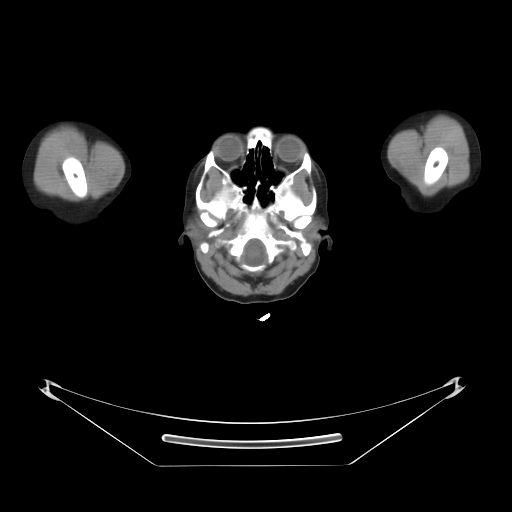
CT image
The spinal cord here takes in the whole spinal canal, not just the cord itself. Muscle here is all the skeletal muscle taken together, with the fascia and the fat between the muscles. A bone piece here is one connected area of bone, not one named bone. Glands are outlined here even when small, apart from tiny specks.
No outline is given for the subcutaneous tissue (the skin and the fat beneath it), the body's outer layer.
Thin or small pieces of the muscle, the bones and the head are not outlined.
{"spinal_cord":[[[252,245],[258,245],[261,247],[261,250],[263,253],[263,256],[260,261],[260,262],[261,263],[259,263],[258,264],[255,264],[254,265],[252,265],[251,264],[249,264],[248,263],[246,263],[247,263],[248,262],[248,259],[247,258],[247,250]]],"muscle":[{"outer":[[204,160],[194,191],[195,205],[200,212],[199,219],[211,229],[206,235],[211,238],[218,236],[231,225],[227,221],[217,227],[218,220],[224,221],[230,209],[237,219],[243,214],[242,223],[235,235],[226,239],[219,238],[217,242],[228,247],[227,252],[240,268],[252,273],[261,272],[271,265],[276,257],[285,251],[285,247],[291,252],[299,249],[306,257],[310,254],[313,246],[302,230],[304,229],[313,219],[313,215],[317,207],[317,190],[311,185],[311,198],[306,204],[292,185],[295,175],[302,170],[308,176],[311,175],[313,162],[320,179],[319,215],[316,215],[313,218],[313,222],[312,223],[315,259],[309,270],[283,292],[275,295],[235,295],[222,290],[202,271],[195,245],[200,222],[192,207],[195,172]],"hole":[[203,241],[206,241],[209,244],[209,247],[208,248],[208,250],[207,251],[207,252],[206,253],[204,253],[203,252],[202,252],[202,251],[200,249],[200,247],[199,246],[199,245],[200,244],[200,243],[201,242],[202,242]]},{"outer":[[62,123],[73,124],[82,130],[88,139],[92,141],[97,139],[106,141],[120,152],[125,163],[125,172],[121,181],[113,191],[105,194],[98,199],[86,199],[73,202],[56,196],[48,196],[41,193],[35,188],[33,183],[33,169],[40,140],[47,131]],"hole":[[69,156],[73,156],[77,158],[80,161],[84,170],[84,173],[85,174],[85,179],[86,180],[86,183],[87,184],[87,193],[86,195],[82,198],[77,196],[72,191],[67,182],[67,180],[64,175],[64,173],[62,169],[62,162],[63,160],[65,158]]},{"outer":[[439,113],[447,114],[455,118],[462,125],[470,151],[470,175],[464,182],[450,188],[443,188],[435,195],[426,197],[423,196],[414,186],[410,184],[390,165],[387,159],[387,148],[390,140],[397,132],[408,128],[417,129],[419,125],[424,124],[434,115]],"hole":[[436,146],[440,146],[445,149],[448,155],[448,160],[447,161],[447,164],[441,176],[439,178],[439,179],[433,184],[431,184],[430,185],[427,185],[425,184],[423,180],[425,163],[426,162],[427,157],[430,151],[434,147]]},[[212,167],[217,169],[222,174],[222,177],[221,178],[221,187],[217,191],[216,191],[214,193],[214,194],[209,200],[204,200],[201,197],[201,190],[203,187],[203,185],[204,184],[204,181],[205,180],[206,175],[207,174],[207,173],[209,171],[209,170]],[[269,221],[274,226],[274,227],[277,230],[281,230],[282,231],[283,231],[283,232],[286,235],[287,235],[289,237],[289,238],[288,238],[287,239],[284,239],[283,238],[278,238],[277,237],[276,237],[274,235],[274,230],[271,226],[271,225],[269,223]],[[281,212],[282,212],[282,218],[285,221],[286,221],[289,223],[291,223],[292,224],[292,227],[294,229],[293,229],[292,228],[291,228],[287,224],[286,224],[285,223],[284,223],[282,221],[281,221],[279,219],[279,217],[278,216],[280,214],[280,213]]],"head":[{"outer":[[250,122],[276,123],[299,132],[308,141],[326,177],[329,226],[325,232],[333,240],[328,252],[326,242],[321,243],[318,268],[295,294],[265,304],[241,304],[217,296],[200,277],[188,238],[184,238],[183,247],[177,240],[192,166],[208,151],[218,132]],"holes":[[[264,148],[267,148],[268,150],[273,169],[282,175],[276,184],[271,181],[269,182],[268,188],[264,195],[267,198],[271,192],[273,197],[271,200],[266,199],[262,203],[258,196],[258,190],[259,187],[264,183],[261,177],[263,171],[262,156],[264,153]],[[251,151],[253,162],[254,163],[255,162],[255,167],[256,168],[257,167],[257,162],[259,170],[258,171],[259,175],[256,179],[253,185],[253,189],[251,191],[249,190],[247,184],[239,185],[232,178],[233,172],[241,170],[244,167],[246,162],[246,158]]]}],"bones":[{"outer":[[256,126],[272,131],[277,167],[263,148],[258,199],[273,199],[271,191],[265,195],[270,182],[297,168],[306,150],[311,173],[296,173],[291,188],[306,205],[314,186],[316,207],[301,230],[309,254],[285,246],[271,264],[252,272],[218,242],[236,235],[244,214],[237,218],[230,208],[216,227],[230,225],[208,237],[212,229],[200,219],[195,191],[212,149],[234,182],[254,189],[260,170],[253,152],[240,164],[246,134]],"holes":[[[251,240],[258,240],[262,244],[264,248],[264,250],[266,252],[266,260],[267,262],[262,262],[261,263],[259,263],[258,264],[255,264],[254,265],[252,265],[251,264],[243,262],[242,260],[242,254],[243,253],[243,249],[246,246],[248,242]],[[212,167],[217,169],[222,174],[222,177],[221,178],[221,187],[217,191],[216,191],[214,193],[214,194],[209,200],[204,200],[201,197],[201,190],[203,187],[203,185],[204,184],[204,181],[205,180],[206,175],[207,174],[207,173],[209,171],[209,170]],[[269,221],[274,226],[274,227],[277,230],[281,230],[282,231],[283,231],[283,232],[286,235],[287,235],[289,237],[289,238],[288,238],[287,239],[284,239],[283,238],[278,238],[277,237],[276,237],[274,235],[274,230],[271,226],[271,225],[269,223]],[[281,212],[282,212],[282,218],[285,221],[286,221],[289,223],[291,223],[292,224],[292,227],[294,229],[293,229],[292,228],[291,228],[287,224],[286,224],[285,223],[284,223],[282,221],[281,221],[279,219],[279,217],[278,216],[280,214],[280,213]]]},[[69,156],[73,156],[77,158],[80,161],[84,170],[84,173],[85,174],[85,179],[86,180],[86,183],[87,184],[87,193],[86,195],[82,198],[77,196],[72,191],[67,182],[67,180],[64,175],[64,173],[62,169],[62,162],[63,160],[65,158]],[[436,146],[440,146],[445,149],[448,155],[448,160],[447,161],[447,164],[441,176],[439,178],[439,179],[433,184],[431,184],[430,185],[427,185],[425,184],[423,180],[425,163],[426,162],[427,157],[430,151],[434,147]],[[203,241],[206,241],[209,244],[209,247],[208,248],[208,250],[207,251],[207,252],[206,253],[204,253],[203,252],[202,252],[202,251],[200,249],[200,247],[199,246],[199,245],[200,244],[200,243],[201,242],[202,242]]],"parotid_glands":[[[192,212],[194,212],[194,213],[195,214],[196,214],[196,215],[198,218],[198,221],[199,222],[199,229],[198,230],[198,233],[196,236],[195,236],[194,231],[193,230],[192,230],[192,229],[188,225],[188,218],[189,217],[189,216],[192,213]],[[316,216],[321,216],[321,217],[322,218],[323,218],[323,223],[322,224],[322,225],[320,225],[319,226],[316,226],[315,227],[314,227],[314,226],[313,225],[314,224],[313,223],[314,222],[314,218],[315,218],[316,217]]],"brain":[[[251,240],[258,240],[262,244],[264,248],[264,250],[266,252],[266,260],[267,262],[261,262],[264,256],[264,253],[262,250],[262,247],[258,244],[252,244],[246,250],[246,258],[247,259],[247,262],[243,262],[242,260],[243,249],[246,246],[248,242]]],"left_arm":[[[434,105],[445,105],[452,107],[461,112],[470,121],[480,143],[482,165],[479,178],[475,184],[456,195],[445,209],[429,215],[419,215],[409,211],[405,207],[400,196],[398,186],[388,178],[383,169],[380,160],[380,151],[385,137],[402,118],[416,110]]],"right_arm":[[[59,117],[81,118],[97,124],[111,134],[119,142],[127,153],[131,162],[131,175],[121,193],[107,208],[105,213],[99,220],[86,226],[74,227],[63,225],[53,219],[47,212],[33,207],[29,202],[22,186],[21,164],[28,142],[38,128],[46,122]]]}